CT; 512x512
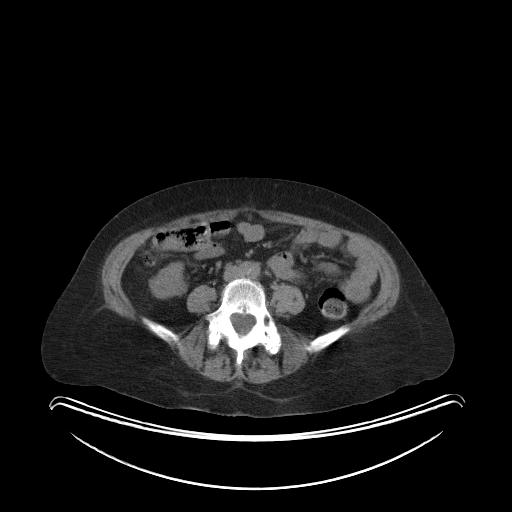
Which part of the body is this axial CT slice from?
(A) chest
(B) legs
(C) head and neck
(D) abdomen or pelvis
Answer: (D) abdomen or pelvis
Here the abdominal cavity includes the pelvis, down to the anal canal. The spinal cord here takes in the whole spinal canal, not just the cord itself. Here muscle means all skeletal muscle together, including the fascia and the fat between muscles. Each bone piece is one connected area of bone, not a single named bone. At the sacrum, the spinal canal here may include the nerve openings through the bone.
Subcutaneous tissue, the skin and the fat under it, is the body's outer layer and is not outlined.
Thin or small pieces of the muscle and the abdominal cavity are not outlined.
{"spinal_cord":[[[233,314],[240,314],[241,315],[251,315],[254,318],[254,323],[252,325],[252,326],[250,328],[250,329],[245,334],[240,334],[239,333],[238,333],[237,332],[237,331],[235,329],[235,328],[234,327],[234,326],[232,323],[232,321],[231,320],[231,316]]],"bones":[{"outer":[[235,278],[248,278],[263,286],[266,307],[274,319],[281,338],[281,345],[275,354],[270,354],[261,344],[246,349],[240,367],[236,365],[236,351],[228,346],[224,338],[220,340],[215,349],[209,346],[208,321],[205,318],[208,313],[220,305],[224,286]],"hole":[[233,314],[240,314],[241,315],[251,315],[254,318],[254,323],[252,325],[252,326],[250,328],[250,329],[245,334],[240,334],[239,333],[238,333],[237,332],[237,331],[235,329],[235,328],[234,327],[234,326],[232,323],[232,321],[231,320],[231,316]]},[[344,324],[350,324],[351,325],[350,330],[345,334],[344,334],[341,337],[340,337],[336,341],[333,342],[323,349],[319,351],[317,351],[316,352],[313,352],[312,353],[310,353],[305,349],[306,345],[307,345],[311,340],[312,340],[318,335],[326,333]],[[142,316],[145,316],[167,327],[169,329],[170,329],[172,331],[176,333],[179,336],[179,345],[177,345],[176,343],[172,341],[170,342],[167,342],[163,340],[157,335],[156,335],[153,332],[149,330],[149,329],[141,321],[141,317]]],"muscle":[[[202,284],[215,290],[218,303],[204,316],[207,344],[215,350],[224,339],[235,351],[237,367],[245,351],[258,345],[270,355],[280,350],[282,338],[267,307],[272,287],[280,284],[297,288],[305,305],[299,313],[278,319],[294,330],[315,335],[304,349],[310,354],[319,352],[295,372],[262,384],[247,383],[240,376],[221,382],[196,373],[163,341],[179,346],[180,336],[169,328],[181,330],[200,318],[188,310],[186,300]],[[244,206],[282,211],[321,220],[364,234],[379,243],[392,257],[399,273],[399,296],[393,309],[360,332],[338,340],[351,330],[352,325],[348,323],[372,302],[380,288],[380,273],[371,252],[358,241],[329,229],[271,221],[255,212],[247,211],[215,222],[157,233],[146,239],[135,250],[123,270],[121,286],[132,305],[143,314],[140,321],[159,338],[106,307],[101,271],[107,255],[121,240],[142,229],[160,226],[186,215]]],"torso":[[[228,176],[284,178],[319,185],[353,199],[381,218],[405,246],[448,317],[455,351],[447,371],[365,403],[320,413],[266,418],[170,409],[101,386],[70,385],[54,380],[41,361],[43,328],[55,301],[102,226],[130,203],[162,188],[190,180]]],"abdominal_cavity":[[[246,212],[358,242],[377,265],[375,297],[352,320],[317,335],[279,319],[304,309],[297,287],[275,284],[266,302],[264,286],[248,277],[227,282],[218,306],[213,287],[194,287],[185,305],[199,318],[181,329],[144,315],[122,286],[136,250],[157,234]]]}